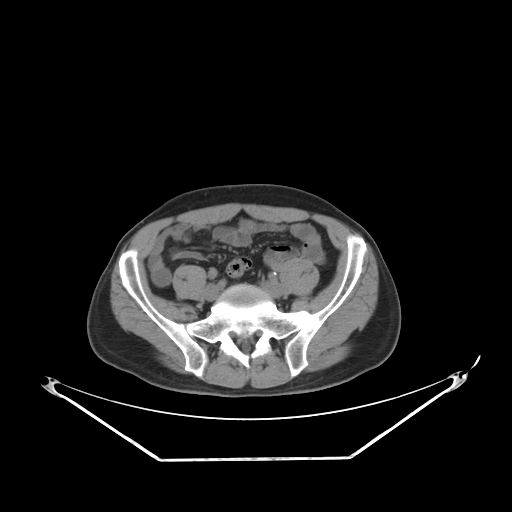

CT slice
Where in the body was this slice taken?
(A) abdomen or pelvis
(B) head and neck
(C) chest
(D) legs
Answer: (A) abdomen or pelvis
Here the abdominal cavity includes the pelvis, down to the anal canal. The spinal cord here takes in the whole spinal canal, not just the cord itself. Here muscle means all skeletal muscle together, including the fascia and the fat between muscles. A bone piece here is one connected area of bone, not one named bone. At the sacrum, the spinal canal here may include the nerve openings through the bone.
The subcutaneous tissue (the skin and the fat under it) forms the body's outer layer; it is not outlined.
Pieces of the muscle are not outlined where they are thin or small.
{"muscle":[[[225,203],[298,208],[335,218],[362,236],[357,233],[346,236],[346,262],[339,286],[322,308],[311,312],[306,309],[292,310],[293,302],[299,297],[288,292],[282,282],[281,272],[292,262],[305,261],[312,264],[317,270],[318,278],[308,297],[313,297],[330,283],[336,272],[340,251],[320,223],[311,218],[269,221],[256,218],[242,209],[229,219],[213,223],[174,222],[157,234],[143,264],[149,287],[154,294],[193,308],[196,320],[188,322],[168,318],[153,305],[141,281],[138,250],[134,247],[124,250],[117,261],[121,285],[181,351],[184,358],[183,368],[192,374],[178,373],[160,363],[146,344],[126,332],[116,321],[110,306],[111,273],[123,245],[146,224],[189,210]],[[366,241],[373,250],[378,268],[379,277],[378,301],[374,313],[364,328],[357,334],[353,342],[353,348],[350,354],[346,358],[323,370],[300,374],[309,363],[307,358],[307,351],[311,340],[328,317],[344,302],[351,293],[363,271],[364,259],[368,250]],[[289,337],[284,345],[283,356],[292,379],[283,384],[255,388],[248,383],[242,387],[233,388],[210,384],[200,379],[209,358],[196,339],[210,344],[218,342],[218,349],[221,352],[236,359],[248,370],[251,367],[251,360],[272,350],[271,339],[279,341]],[[182,265],[195,265],[196,266],[199,266],[203,268],[205,271],[205,285],[204,286],[204,288],[201,294],[199,296],[199,297],[196,299],[180,299],[178,298],[176,295],[176,292],[174,289],[174,286],[173,285],[174,274],[176,270],[180,266]]],"bones":[{"outer":[[350,234],[366,244],[362,271],[293,378],[284,356],[290,336],[271,338],[248,369],[218,341],[196,338],[208,361],[200,378],[186,371],[182,351],[118,272],[120,255],[136,249],[146,296],[180,323],[206,317],[240,283],[283,312],[313,313],[340,286]],"hole":[[258,331],[260,331],[261,332],[261,335],[253,344],[253,348],[251,352],[249,353],[245,353],[243,352],[241,350],[241,349],[239,347],[239,346],[237,344],[235,340],[230,335],[230,333],[231,332],[234,332],[240,338],[250,338],[252,337]]}],"spinal_cord":[[[258,331],[260,331],[261,332],[261,335],[253,344],[253,348],[251,352],[249,353],[245,353],[243,352],[241,350],[241,349],[239,347],[239,346],[237,344],[235,340],[230,335],[230,333],[231,332],[234,332],[240,338],[250,338],[252,337]]],"torso":[[[236,183],[276,183],[309,191],[335,205],[371,234],[394,279],[402,312],[398,342],[381,365],[347,382],[317,391],[267,397],[221,397],[176,392],[151,385],[103,362],[94,354],[86,335],[86,314],[96,282],[122,235],[156,207],[180,193],[200,187]]],"abdominal_cavity":[{"outer":[[241,210],[269,222],[311,219],[323,226],[339,251],[329,283],[308,296],[318,270],[309,261],[292,261],[280,272],[287,292],[298,297],[291,310],[279,309],[259,286],[240,282],[226,287],[199,319],[191,305],[152,291],[144,260],[162,230],[226,221]],"hole":[[182,265],[195,265],[196,266],[199,266],[203,268],[205,271],[205,285],[204,286],[204,288],[201,294],[199,296],[199,297],[196,299],[180,299],[178,298],[176,295],[176,292],[174,289],[174,286],[173,285],[174,274],[176,270],[180,266]]}]}